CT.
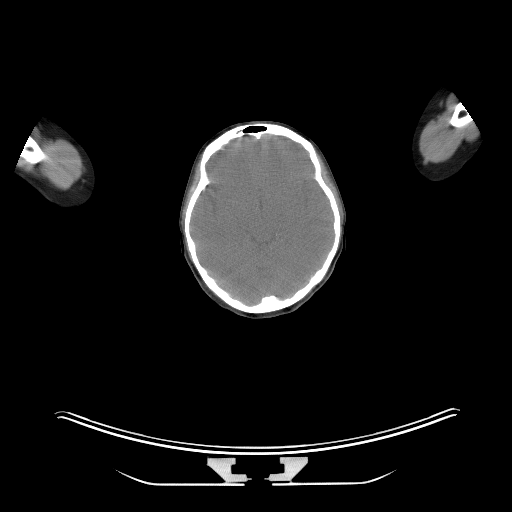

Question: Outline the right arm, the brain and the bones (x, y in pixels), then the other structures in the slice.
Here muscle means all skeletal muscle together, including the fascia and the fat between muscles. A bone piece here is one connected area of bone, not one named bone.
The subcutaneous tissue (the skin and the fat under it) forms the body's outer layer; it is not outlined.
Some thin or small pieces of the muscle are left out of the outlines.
Answer: The right arm is outlined by 43 115; 52 119; 69 132; 81 144; 90 157; 95 173; 95 185; 93 192; 89 199; 81 205; 71 208; 62 208; 55 206; 46 200; 33 187; 15 175; 14 173; 20 153; 27 139; 31 134; 32 130; 41 116. The brain is outlined by 264 135; 291 140; 307 153; 313 168; 313 179; 327 198; 332 213; 333 240; 320 266; 290 295; 280 297; 271 293; 257 302; 247 303; 223 288; 201 263; 190 224; 195 205; 211 182; 207 171; 210 158; 232 140; 245 136; 258 140. The bones appear in 3 outlined pieces: piece 1: 249 123; 281 125; 303 136; 313 145; 321 167; 322 178; 335 198; 340 221; 339 244; 323 278; 295 303; 281 309; 262 313; 246 312; 234 308; 218 297; 206 285; 190 257; 184 234; 185 211; 200 177; 200 160; 205 147; 227 130 with holes at 264 135; 291 140; 307 153; 313 168; 313 179; 327 198; 332 213; 333 240; 320 266; 290 295; 280 297; 271 293; 257 302; 247 303; 223 288; 201 263; 190 224; 195 205; 211 182; 207 171; 210 158; 232 140; 245 136; 258 140 and at 250 127; 262 127; 263 128; 263 129; 262 129; 261 130; 258 130; 257 131; 246 131; 245 130; 246 129; 247 129; 248 128; 249 128; piece 2: 29 136; 31 136; 35 140; 35 141; 38 144; 38 145; 40 147; 40 148; 46 154; 45 155; 45 160; 40 161; 35 164; 31 164; 30 163; 25 161; 25 160; 21 157; 19 157; 20 156; 20 153; 21 152; 27 139; 29 137; piece 3: 458 102; 460 102; 465 107; 465 108; 473 119; 473 123; 472 122; 470 122; 465 126; 463 127; 461 127; 460 128; 456 128; 452 126; 449 123; 448 121; 451 117; 451 116; 453 114; 453 112; 454 111; 454 106. The left arm is outlined by 441 84; 446 85; 465 107; 473 119; 475 125; 479 130; 479 132; 483 138; 483 142; 475 155; 468 161; 455 175; 442 181; 431 181; 423 177; 416 169; 412 160; 411 142; 412 141; 412 136; 413 135; 415 126; 423 108; 432 94. The muscle appears in 4 outlined pieces: piece 1: 450 91; 456 96; 459 101; 453 106; 452 114; 447 121; 448 123; 452 127; 456 129; 460 129; 470 123; 473 124; 474 122; 481 135; 476 140; 460 149; 447 160; 438 163; 424 164; 418 151; 418 141; 421 131; 432 116; 439 101; piece 2: 36 124; 44 130; 52 132; 58 137; 61 137; 70 142; 76 148; 82 158; 85 166; 85 172; 80 179; 66 190; 56 188; 45 179; 36 177; 26 172; 16 164; 19 158; 31 165; 35 165; 46 160; 47 154; 36 140; 30 135; piece 3: 317 152; 320 155; 326 167; 328 174; 336 189; 342 208; 343 219; 342 220; 342 229; 341 230; 341 239; 340 242; 340 237; 341 236; 341 221; 340 220; 340 212; 339 211; 338 204; 334 193; 325 182; 323 178; 322 175; 322 167; piece 4: 200 156; 200 159; 199 160; 199 166; 198 167; 199 168; 199 177; 198 178; 197 183; 188 199; 188 201; 184 211; 184 221; 183 222; 183 227; 183 224; 182 223; 183 208; 184 207; 187 192; 192 181; 192 178; 194 174; 195 167. The head is outlined by 248 120; 275 120; 284 122; 311 138; 319 146; 330 166; 346 211; 346 249; 341 254; 333 273; 326 283; 297 310; 262 319; 252 319; 234 314; 220 307; 206 295; 182 258; 178 226; 182 196; 192 163; 199 148; 222 128; 236 122 with a hole at 250 127; 262 127; 263 128; 263 129; 262 129; 261 130; 258 130; 257 131; 246 131; 245 130; 246 129; 247 129; 248 128; 249 128.